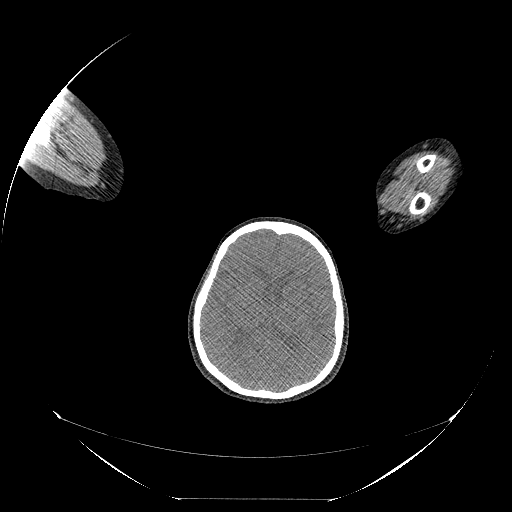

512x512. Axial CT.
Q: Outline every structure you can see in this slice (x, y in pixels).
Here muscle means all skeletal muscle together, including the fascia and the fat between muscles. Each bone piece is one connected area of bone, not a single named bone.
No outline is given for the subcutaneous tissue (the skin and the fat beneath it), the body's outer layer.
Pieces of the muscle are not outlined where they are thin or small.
A: {"left_arm":[[[432,137],[442,137],[451,141],[457,149],[463,161],[464,164],[463,173],[459,178],[452,195],[431,218],[424,223],[401,233],[397,234],[388,233],[378,226],[376,219],[377,208],[375,198],[375,187],[377,179],[386,165],[398,154],[411,145],[421,140]]],"muscle":[[[57,94],[69,102],[78,105],[82,112],[92,120],[92,124],[100,135],[108,156],[107,175],[103,186],[85,187],[72,184],[61,179],[56,179],[53,176],[52,177],[36,168],[21,156],[28,140],[44,145],[49,140],[52,130],[47,120],[41,116]],{"outer":[[423,150],[440,151],[454,163],[455,171],[446,191],[436,205],[427,213],[433,201],[430,193],[425,190],[418,191],[410,199],[407,207],[408,213],[410,215],[423,215],[420,218],[404,217],[389,210],[385,211],[380,196],[390,180],[392,172],[402,160]],"hole":[[431,153],[436,153],[437,154],[437,159],[434,163],[434,164],[432,166],[432,167],[428,171],[426,171],[425,172],[423,172],[421,173],[417,169],[416,167],[416,165],[415,164],[415,161],[417,159],[420,158],[422,156],[426,154],[430,154]]}],"right_arm":[[[63,88],[66,88],[77,95],[99,117],[108,129],[119,149],[124,168],[124,180],[119,193],[111,200],[103,202],[94,199],[85,199],[77,195],[69,195],[55,190],[45,189],[30,177],[19,164],[19,160],[23,149],[34,127],[49,104]]],"brain":[[[258,230],[271,230],[277,235],[295,235],[309,243],[323,260],[331,286],[331,297],[334,303],[333,344],[329,357],[323,366],[311,378],[278,390],[265,387],[245,386],[231,378],[210,359],[201,337],[202,310],[219,270],[221,261],[229,247],[238,238]]],"head":[[[256,216],[281,216],[291,218],[313,228],[333,252],[348,304],[349,338],[345,358],[339,371],[324,388],[325,391],[323,393],[315,393],[288,406],[246,403],[238,401],[222,392],[206,379],[196,367],[187,338],[187,314],[190,300],[219,240],[236,224]]],"bones":[{"outer":[[262,220],[284,221],[301,226],[311,232],[324,245],[336,268],[344,309],[342,345],[338,358],[331,371],[315,386],[291,397],[280,399],[243,395],[226,387],[214,377],[201,362],[192,332],[192,316],[195,300],[220,244],[227,236],[241,226],[250,222]],"hole":[[258,230],[271,230],[277,235],[295,235],[309,243],[323,260],[331,286],[331,297],[334,303],[333,344],[329,357],[323,366],[311,378],[278,390],[265,387],[245,386],[231,378],[210,359],[201,337],[202,310],[219,270],[221,261],[229,247],[238,238]]},[[422,191],[425,191],[431,195],[431,196],[432,197],[432,201],[431,202],[430,205],[427,208],[427,209],[424,214],[410,214],[409,213],[409,211],[408,210],[408,207],[409,206],[409,204],[410,203],[410,201],[411,200],[411,199],[418,192],[421,192]],[[40,117],[46,120],[51,130],[49,134],[49,138],[48,140],[45,143],[45,144],[43,143],[38,143],[37,142],[34,142],[28,139],[30,134],[32,132],[34,127],[36,125]],[[431,153],[436,153],[437,154],[437,159],[434,163],[434,164],[432,166],[432,167],[428,171],[426,171],[425,172],[423,172],[421,173],[417,169],[416,167],[416,165],[415,164],[415,161],[417,159],[420,158],[422,156],[426,154],[430,154]]]}